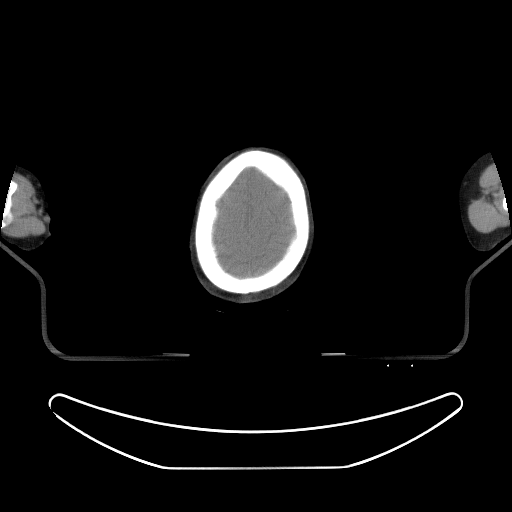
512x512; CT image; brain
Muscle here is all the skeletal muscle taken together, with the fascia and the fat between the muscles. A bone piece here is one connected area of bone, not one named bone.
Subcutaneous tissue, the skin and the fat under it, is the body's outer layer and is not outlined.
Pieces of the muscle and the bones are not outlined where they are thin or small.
{"left_arm":[[[487,151],[491,154],[499,176],[499,180],[501,183],[503,194],[505,196],[508,220],[510,227],[510,234],[508,238],[499,242],[490,249],[486,251],[478,251],[472,247],[469,243],[462,227],[458,207],[458,188],[463,175],[470,165],[480,155]]],"head":[[[256,145],[264,145],[281,150],[293,159],[305,176],[311,196],[315,222],[315,235],[311,255],[300,276],[290,287],[266,300],[252,303],[235,303],[209,294],[197,280],[189,261],[187,245],[188,231],[198,188],[208,172],[222,157],[230,152],[244,147]]],"muscle":[[[489,164],[492,164],[495,166],[497,170],[501,187],[503,190],[502,207],[508,214],[508,220],[506,226],[498,228],[490,233],[483,234],[477,232],[471,225],[467,215],[467,207],[470,202],[470,200],[477,196],[479,188],[478,186],[479,176],[483,169]],[[17,173],[29,179],[35,188],[37,196],[41,201],[43,207],[43,214],[45,216],[46,230],[43,234],[39,236],[16,238],[8,236],[2,231],[0,231],[0,229],[3,229],[13,219],[13,214],[11,211],[12,195],[17,189],[18,184],[12,178]],[[230,157],[231,157],[227,161],[226,161],[215,172],[215,173],[210,178],[210,179],[209,180],[209,179],[210,178],[210,177],[213,174],[213,173],[218,168],[218,167],[226,159],[227,159],[228,158],[229,158]]],"bones":[{"outer":[[251,148],[259,148],[283,156],[298,173],[305,188],[310,220],[310,231],[307,247],[303,257],[296,268],[284,280],[276,286],[259,292],[239,294],[219,289],[213,285],[202,272],[198,264],[194,248],[194,226],[199,200],[207,183],[232,157],[244,150]],"hole":[[247,168],[256,169],[285,192],[289,200],[289,209],[291,213],[291,222],[293,225],[293,233],[282,256],[271,267],[257,275],[240,277],[228,272],[220,263],[216,246],[214,243],[214,225],[219,213],[219,209],[217,206],[218,201],[232,185],[238,176]]},[[12,179],[14,180],[17,184],[16,189],[11,195],[11,207],[10,208],[10,211],[12,214],[12,219],[11,221],[3,228],[0,228],[0,224],[2,219],[2,214],[4,209],[4,205],[6,200],[6,196],[7,195],[7,192],[8,191],[10,181]]],"right_arm":[[[18,164],[31,170],[39,178],[49,204],[48,210],[50,215],[50,232],[51,235],[42,245],[36,249],[30,251],[25,251],[12,244],[2,238],[0,233],[1,232],[0,231],[0,224],[2,219],[2,214],[4,209],[9,184],[12,179],[14,170]]],"brain":[[[247,168],[256,169],[285,192],[289,200],[289,209],[291,213],[291,222],[293,225],[293,233],[282,256],[271,267],[257,275],[240,277],[228,272],[220,263],[216,246],[214,243],[214,225],[219,213],[219,209],[217,206],[218,201],[232,185],[238,176]]]}